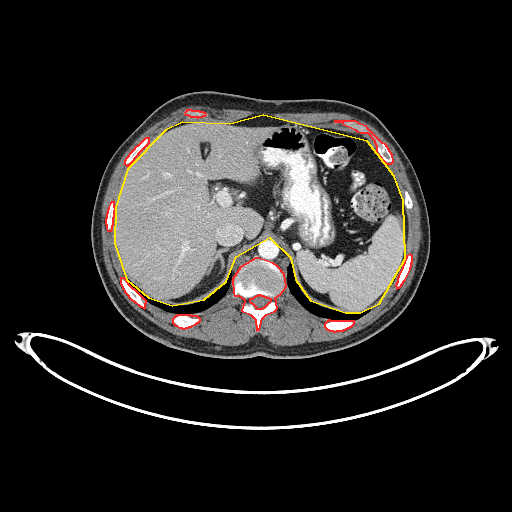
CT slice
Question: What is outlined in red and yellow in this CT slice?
Answer: red: bones; yellow: abdominal cavity.
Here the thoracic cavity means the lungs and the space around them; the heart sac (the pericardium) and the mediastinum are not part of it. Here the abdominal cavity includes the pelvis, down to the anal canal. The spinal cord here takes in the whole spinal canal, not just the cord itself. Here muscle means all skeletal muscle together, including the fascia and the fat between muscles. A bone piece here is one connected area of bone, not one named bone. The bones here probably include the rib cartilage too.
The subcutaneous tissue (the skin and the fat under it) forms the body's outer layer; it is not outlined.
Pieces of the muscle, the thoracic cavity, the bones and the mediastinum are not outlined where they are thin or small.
{"bones":[{"outer":[[256,330],[259,329],[262,318],[266,314],[274,311],[277,308],[275,297],[280,294],[286,286],[284,274],[277,266],[273,263],[258,258],[255,258],[240,267],[232,279],[233,293],[234,295],[238,295],[243,298],[244,301],[241,310],[250,314],[255,319]],"hole":[[256,308],[262,308],[263,307],[264,307],[271,300],[271,299],[270,299],[269,298],[267,298],[266,297],[264,297],[263,296],[261,296],[260,295],[258,295],[257,296],[256,296],[251,299],[249,299],[249,301],[250,302],[251,302],[255,306],[255,307]]},[[386,163],[391,163],[393,161],[392,155],[385,144],[382,143],[367,128],[366,126],[360,124],[355,121],[334,121],[342,122],[343,124],[349,126],[355,129],[357,131],[360,132],[367,132],[374,140],[374,142],[376,145],[376,152]],[[144,308],[145,307],[145,303],[146,302],[146,301],[134,289],[133,289],[128,284],[128,283],[124,278],[120,278],[120,283],[121,284],[121,285],[122,286],[122,287],[123,288],[124,291],[128,295],[128,296],[132,300],[133,300],[140,306],[141,306]],[[182,328],[185,328],[186,327],[188,327],[189,326],[191,326],[192,325],[195,324],[197,322],[198,322],[200,320],[200,319],[197,316],[191,316],[190,315],[177,315],[176,316],[175,316],[172,319],[172,322],[175,325],[176,325],[179,327],[181,327]],[[396,288],[399,287],[401,285],[401,284],[405,279],[410,269],[410,267],[411,266],[411,262],[412,261],[412,256],[410,254],[406,256],[406,258],[404,261],[404,263],[402,266],[402,268],[398,275],[398,277],[397,278],[397,282],[395,285]],[[333,331],[336,331],[337,330],[343,330],[344,329],[345,329],[346,328],[347,328],[348,327],[349,327],[350,326],[351,326],[354,323],[354,321],[331,321],[330,320],[328,320],[324,324],[324,326],[327,329],[328,329],[329,330],[332,330]],[[126,165],[128,165],[134,159],[134,158],[138,154],[138,153],[146,145],[147,145],[147,144],[149,142],[149,138],[145,138],[137,146],[136,146],[132,151],[131,151],[131,152],[128,155],[128,156],[125,159],[125,160],[124,161],[124,163]],[[107,230],[111,230],[112,229],[112,225],[113,224],[113,217],[114,216],[114,210],[115,209],[114,207],[114,202],[111,202],[110,203],[108,207],[108,209],[107,210],[107,213],[106,214],[106,218],[105,219],[105,223],[106,224],[106,228]],[[197,117],[198,117],[199,116],[202,116],[203,115],[205,115],[206,114],[205,113],[204,113],[203,112],[200,112],[199,111],[192,111],[191,110],[186,110],[186,111],[184,113],[185,114],[187,114],[188,115],[189,115],[190,116],[196,116]]],"abdominal_cavity":[[[345,312],[360,312],[379,303],[405,258],[403,200],[394,176],[367,141],[263,115],[229,124],[182,122],[165,130],[127,169],[115,207],[114,243],[126,279],[148,297],[172,305],[204,299],[226,281],[236,256],[269,237],[290,257],[295,279],[310,300]]],"spinal_cord":[[[256,308],[262,308],[263,307],[264,307],[271,300],[271,299],[270,299],[269,298],[267,298],[266,297],[264,297],[263,296],[261,296],[260,295],[258,295],[257,296],[256,296],[251,299],[249,299],[249,301],[250,302],[251,302],[255,306],[255,307]]],"thoracic_cavity":[[[337,320],[355,320],[369,312],[371,309],[368,309],[360,313],[345,313],[344,312],[338,312],[337,311],[330,310],[314,304],[300,290],[294,279],[293,273],[290,266],[288,270],[288,284],[289,285],[290,292],[293,296],[310,312],[316,315],[324,316]],[[177,313],[190,313],[203,310],[216,303],[227,291],[232,278],[231,277],[231,270],[230,270],[227,281],[218,291],[204,300],[190,305],[183,305],[182,306],[172,306],[152,300],[150,298],[148,298],[131,282],[127,280],[133,288],[152,304],[162,309]]],"mediastinum":[[[287,284],[287,270],[290,265],[290,259],[285,251],[272,239],[265,238],[254,246],[246,250],[236,257],[231,265],[232,277],[237,269],[240,266],[241,266],[244,263],[253,259],[255,257],[258,257],[259,258],[273,262],[276,264],[285,274]]],"torso":[[[284,359],[320,355],[360,343],[387,327],[407,307],[430,250],[429,217],[415,170],[382,122],[366,109],[347,102],[322,98],[264,100],[216,91],[176,96],[155,109],[124,140],[102,174],[90,232],[104,289],[132,326],[166,346],[208,357],[262,355]]],"muscle":[{"outer":[[221,346],[237,346],[245,344],[257,335],[265,338],[271,344],[276,346],[294,346],[299,344],[303,344],[306,342],[322,342],[323,341],[336,340],[345,337],[371,324],[387,311],[398,300],[409,286],[415,271],[419,245],[422,235],[420,229],[420,211],[413,189],[407,177],[405,168],[402,164],[400,158],[394,148],[374,127],[361,120],[356,119],[348,114],[338,112],[270,113],[269,112],[256,112],[242,109],[217,109],[207,106],[190,106],[179,108],[171,112],[167,116],[147,128],[128,147],[122,155],[111,175],[104,195],[101,208],[101,235],[102,236],[103,259],[111,280],[120,293],[133,308],[161,328],[178,336],[187,338],[195,338],[207,342],[211,342]],"holes":[[[333,331],[351,326],[369,312],[395,282],[396,288],[399,287],[412,261],[410,254],[405,255],[405,210],[412,208],[411,198],[405,191],[402,199],[386,165],[393,161],[392,155],[366,126],[355,121],[334,121],[367,132],[374,140],[375,152],[359,136],[253,114],[229,124],[178,123],[149,145],[149,138],[145,138],[131,151],[124,161],[131,165],[124,175],[116,206],[111,202],[108,207],[105,223],[107,230],[113,230],[126,277],[120,278],[120,283],[132,300],[144,308],[147,300],[165,310],[190,313],[216,303],[232,284],[234,295],[244,300],[241,310],[255,319],[258,330],[262,318],[277,308],[275,297],[288,284],[290,292],[307,310],[337,320],[328,320],[324,324]],[[182,328],[185,328],[186,327],[188,327],[189,326],[191,326],[192,325],[195,324],[197,322],[198,322],[200,320],[200,319],[197,316],[191,316],[190,315],[177,315],[176,316],[175,316],[172,319],[172,322],[175,325],[176,325],[179,327],[181,327]],[[197,117],[198,117],[199,116],[202,116],[203,115],[205,115],[206,114],[205,113],[204,113],[203,112],[200,112],[199,111],[192,111],[191,110],[186,110],[186,111],[184,113],[185,114],[187,114],[188,115],[189,115],[190,116],[196,116]]]}]}